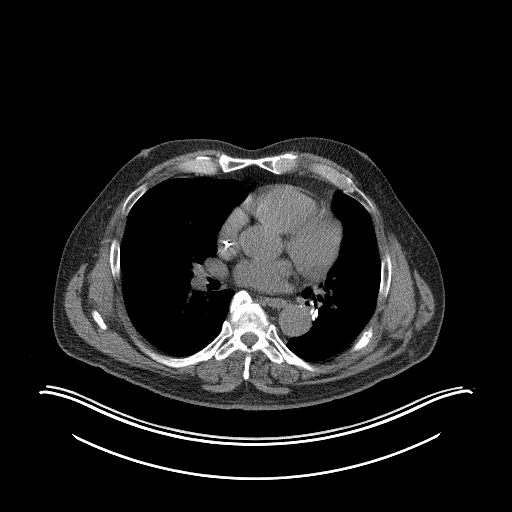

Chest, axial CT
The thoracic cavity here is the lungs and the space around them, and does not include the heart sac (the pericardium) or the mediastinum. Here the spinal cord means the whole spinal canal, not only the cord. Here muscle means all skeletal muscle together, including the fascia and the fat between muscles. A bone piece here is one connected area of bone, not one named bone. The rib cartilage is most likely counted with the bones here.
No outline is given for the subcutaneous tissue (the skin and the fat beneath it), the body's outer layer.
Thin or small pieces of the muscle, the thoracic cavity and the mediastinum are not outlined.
Outlined structures:
bones 1: 241,290 259,304 292,352 322,368 319,373 286,361 273,362 260,350 251,355 246,380 243,377 245,354 240,350 221,360 211,357 175,368 154,360 133,340 164,355 177,358 192,355 217,336 229,317 232,297 with a hole at 246,333 252,333 253,334 254,334 257,337 257,339 256,340 256,341 254,343 253,343 250,346 249,346 248,345 247,345 245,343 244,343 241,340 241,337 244,334 245,334
bones 2: 218,152 225,153 234,157 253,159 267,155 277,155 286,152 292,152 299,156 301,165 293,171 281,174 273,173 256,165 250,165 229,172 219,171 212,175 182,172 176,167 179,162 198,155 213,157
bones 3: 311,163 321,163 322,164 328,165 334,168 339,172 349,177 353,181 355,185 365,194 367,198 371,202 375,209 375,212 373,213 370,213 357,199 345,193 335,185 334,185 323,177 309,171 308,170 307,166
bones 4: 386,251 388,251 390,255 390,260 391,261 391,279 390,280 390,283 389,284 389,289 387,293 387,296 385,298 381,299 377,302 377,299 378,298 378,293 379,292 379,287 380,286 380,281 381,280 381,258
bones 5: 114,238 117,239 120,243 120,247 119,248 119,266 120,267 120,277 117,279 115,279 112,275 112,273 111,272 111,267 110,266 110,261 109,260 109,257 110,256 110,246 111,245 111,242
bones 6: 143,183 147,183 147,186 148,187 147,190 134,203 134,204 131,207 130,210 128,212 127,215 125,215 123,214 121,212 121,208 127,196 135,188 136,188 138,186 139,186
bones 7: 369,327 371,327 372,328 372,336 370,338 370,340 367,344 367,345 363,348 362,348 359,350 357,350 356,351 352,351 352,350 351,349 352,346 357,341 357,340 360,337 362,332 364,330 367,329
bones 8: 93,310 96,310 99,312 99,313 101,315 101,316 102,317 105,324 107,326 107,328 106,329 105,329 104,330 103,329 102,329 95,322 95,321 93,319 93,318 92,317 92,315 91,314 91,312
mediastinum 1: 217,252 218,259 229,266 228,278 236,286 261,294 293,294 306,286 319,282 325,276 323,281 313,287 311,287 310,286 307,286 305,287 302,290 301,292 313,317 309,330 284,341 264,309 247,291 241,289 235,292 222,288 217,278 210,277 205,260 213,259
mediastinum 2: 250,166 256,166 276,175 297,171 310,172 323,178 337,188 332,197 331,209 330,203 325,197 316,193 302,183 277,179 262,182 256,185 250,191 250,188 240,180 209,176 215,175 219,172 229,173
pericardium: 277,180 302,184 325,198 329,203 331,212 341,224 342,237 338,255 322,279 306,285 293,293 268,294 261,293 248,287 236,285 229,278 230,266 218,257 217,236 223,223 232,210 240,204 256,186 265,182
spinal cord: 246,333 252,333 253,334 254,334 257,337 257,339 256,340 256,341 254,343 253,343 250,346 249,346 248,345 247,345 245,343 244,343 241,340 241,337 244,334 245,334
muscle 1: 366,194 401,244 410,271 416,269 427,283 435,304 432,317 404,351 370,368 340,379 295,386 285,394 264,392 250,382 231,391 214,392 191,379 163,375 107,355 84,341 66,315 64,294 70,279 81,264 88,263 88,271 92,267 102,233 126,196 120,208 126,216 122,236 120,241 115,237 111,240 108,260 112,277 121,278 129,320 159,352 133,337 144,354 177,369 211,358 221,361 240,351 246,381 252,355 260,351 273,363 286,362 319,374 323,368 312,363 368,345 373,328 365,328 377,303 390,289 391,255 386,250 380,256 371,215 376,209 with a hole at 93,310 96,310 99,312 99,313 101,315 101,316 102,317 105,324 107,326 107,328 106,329 105,329 104,330 103,329 102,329 95,322 95,321 93,319 93,318 92,317 92,315 91,314 91,312
muscle 2: 204,149 220,149 224,152 219,152 218,151 213,156 206,154 198,154 193,157 186,158 179,161 175,166 181,172 180,173 163,179 150,187 148,186 147,182 143,182 135,187 136,183 145,173 155,165 178,155
muscle 3: 286,151 308,152 322,156 325,158 328,158 350,171 357,181 360,188 356,185 354,181 349,176 339,171 334,167 325,163 311,162 306,166 308,171 298,171 296,170 302,165 302,163 300,161 300,156 295,152
thoracic cavity 1: 199,176 237,180 249,191 222,223 216,235 215,256 204,260 209,277 217,279 222,289 234,292 228,317 205,346 192,354 177,357 154,347 136,330 128,316 122,292 120,242 129,212 149,188 171,177 187,179
thoracic cavity 2: 338,189 357,200 371,216 380,257 376,306 359,337 349,348 325,361 310,362 297,355 285,342 305,334 312,327 314,317 305,303 306,299 302,292 307,287 313,288 323,282 339,255 343,227 332,209 333,197
torso: 303,136 341,141 366,153 431,244 443,278 445,309 436,344 425,359 343,398 291,409 242,410 200,406 159,395 77,360 60,348 52,327 52,305 63,248 87,208 127,161 144,148 175,139 218,139 255,149